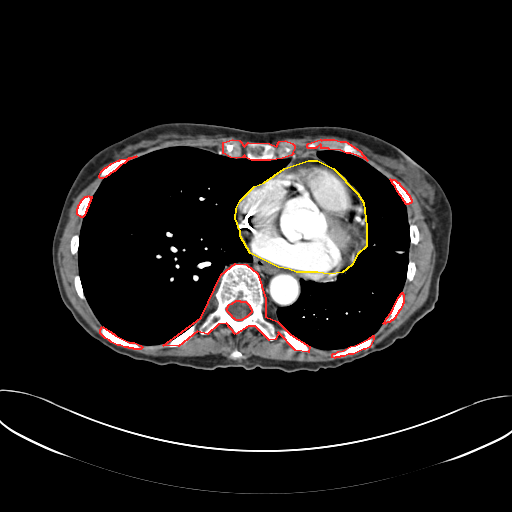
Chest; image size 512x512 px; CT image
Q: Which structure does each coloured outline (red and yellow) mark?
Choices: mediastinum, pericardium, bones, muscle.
A: red: bones; yellow: pericardium.
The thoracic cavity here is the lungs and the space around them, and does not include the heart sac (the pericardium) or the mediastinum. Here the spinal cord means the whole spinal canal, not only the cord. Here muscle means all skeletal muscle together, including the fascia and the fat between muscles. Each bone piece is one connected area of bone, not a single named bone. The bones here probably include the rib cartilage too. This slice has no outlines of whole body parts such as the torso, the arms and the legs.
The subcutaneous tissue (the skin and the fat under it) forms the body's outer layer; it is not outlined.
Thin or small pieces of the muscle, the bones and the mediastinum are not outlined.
Outlined structures:
bones 1: (235, 263) (246, 264) (257, 273) (265, 298) (265, 316) (277, 321) (290, 334) (309, 346) (308, 352) (295, 350) (278, 332) (275, 339) (269, 340) (255, 326) (248, 326) (235, 334) (226, 323) (218, 324) (207, 334) (197, 331) (178, 346) (163, 345) (201, 317) (221, 274), around a hole outlined by (236, 300) (239, 300) (240, 301) (245, 301) (249, 305) (249, 306) (251, 309) (251, 312) (246, 317) (245, 317) (241, 320) (236, 320) (234, 318) (233, 318) (232, 317) (232, 316) (227, 311) (227, 310) (226, 309) (229, 304) (232, 303)
bones 2: (232, 139) (239, 140) (244, 146) (248, 142) (269, 143) (276, 146) (279, 141) (285, 140) (292, 143) (294, 145) (294, 148) (292, 152) (293, 153) (291, 155) (282, 158) (270, 160) (251, 160) (245, 157) (244, 155) (242, 157) (236, 158) (230, 157) (223, 153) (223, 142)
bones 3: (320, 139) (321, 140) (323, 139) (334, 139) (340, 141) (345, 141) (359, 150) (367, 160) (356, 155) (350, 153) (346, 153) (340, 150) (329, 149) (328, 148) (321, 148) (321, 145) (320, 144) (315, 148) (308, 148) (307, 147) (307, 144) (308, 143)
bones 4: (102, 326) (109, 331) (110, 331) (112, 333) (113, 333) (115, 335) (129, 342) (134, 342) (140, 345) (142, 347) (140, 349) (134, 349) (133, 348) (129, 348) (128, 347) (124, 347) (120, 345) (117, 345) (111, 342) (109, 340) (105, 338) (100, 333) (100, 329)
bones 5: (373, 335) (373, 339) (369, 347) (365, 349) (363, 349) (353, 354) (348, 354) (344, 356) (340, 356) (339, 357) (335, 357) (334, 358) (332, 357) (332, 354) (333, 353) (335, 353) (338, 351) (343, 350) (350, 346) (355, 345) (369, 338)
bones 6: (134, 156) (136, 156) (135, 157) (126, 161) (124, 163) (120, 165) (114, 171) (113, 171) (105, 177) (103, 178) (100, 178) (99, 177) (99, 175) (101, 171) (105, 167) (106, 167) (111, 163) (117, 160) (119, 160) (120, 159) (128, 158) (129, 157) (133, 157)
bones 7: (402, 292) (402, 293) (403, 294) (403, 303) (402, 304) (400, 309) (398, 311) (398, 312) (395, 316) (395, 317) (392, 320) (391, 320) (389, 322) (387, 322) (384, 324) (383, 323) (385, 321) (386, 318) (391, 312) (391, 311) (392, 310) (392, 309) (393, 308) (398, 297)
bones 8: (390, 179) (394, 179) (397, 182) (398, 182) (399, 183) (399, 184) (406, 191) (406, 192) (409, 195) (409, 196) (411, 199) (411, 202) (410, 203) (409, 203) (408, 204) (406, 204) (405, 203) (405, 202) (403, 200) (403, 199) (397, 191) (395, 186) (392, 183) (392, 182)
bones 9: (88, 195) (89, 196) (91, 196) (91, 198) (90, 199) (90, 201) (88, 204) (88, 206) (86, 209) (86, 211) (85, 212) (84, 215) (82, 217) (81, 217) (77, 214) (77, 208) (78, 207) (78, 205) (81, 201) (81, 200) (85, 196) (87, 196)
pericardium: (308, 160) (317, 160) (333, 168) (357, 193) (363, 202) (366, 226) (366, 246) (357, 254) (351, 265) (342, 272) (329, 274) (317, 272) (296, 272) (289, 269) (278, 267) (250, 253) (240, 236) (240, 231) (235, 218) (236, 208) (240, 200) (254, 186) (264, 182) (284, 168)
spinal cord: (236, 300) (239, 300) (240, 301) (245, 301) (249, 305) (249, 306) (251, 309) (251, 312) (246, 317) (245, 317) (241, 320) (236, 320) (234, 318) (233, 318) (232, 317) (232, 316) (227, 311) (227, 310) (226, 309) (229, 304) (232, 303)
mediastinum 1: (252, 255) (268, 264) (296, 273) (329, 275) (342, 273) (349, 268) (335, 280) (317, 281) (301, 278) (300, 293) (296, 301) (279, 307) (275, 312) (276, 320) (274, 320) (267, 317) (264, 312) (266, 298) (258, 273) (243, 262) (235, 262) (224, 269) (231, 262) (251, 262)
mediastinum 2: (314, 152) (316, 152) (317, 157) (323, 161) (319, 161) (317, 159) (308, 159) (305, 161) (302, 161) (301, 162) (296, 163) (293, 165) (288, 165) (286, 166) (289, 163) (291, 159) (290, 158) (290, 156) (293, 154) (300, 155) (301, 154) (307, 154) (308, 153) (313, 153)
mediastinum 3: (348, 182) (352, 186) (353, 186) (355, 188) (355, 189) (356, 190) (357, 190) (357, 191) (360, 194) (360, 195) (361, 196) (361, 197) (362, 198) (363, 201) (362, 200) (361, 197) (358, 194) (358, 193) (356, 191) (355, 191) (351, 187) (351, 186) (348, 183)
muscle 1: (357, 148) (384, 164) (407, 185) (425, 215) (435, 249) (428, 296) (398, 328) (365, 351) (330, 361) (279, 360) (255, 355) (237, 360) (243, 354) (236, 347) (229, 354) (232, 359) (221, 354) (155, 356) (125, 348) (140, 350) (143, 347) (141, 345) (160, 344) (166, 348) (175, 348) (197, 332) (207, 335) (220, 324) (228, 325) (235, 335) (248, 327) (255, 327) (269, 341) (275, 340) (278, 333) (298, 352) (308, 353) (311, 347) (340, 350) (331, 354) (334, 359) (369, 348) (374, 334) (383, 324) (396, 317) (404, 303) (402, 290) (405, 282) (411, 282) (416, 273) (416, 263) (409, 258) (409, 250) (411, 245) (418, 244) (420, 232) (418, 226) (408, 220) (407, 205) (412, 202) (410, 195) (398, 181) (389, 178) (370, 163)
muscle 2: (108, 163) (110, 163) (105, 166) (98, 175) (98, 177) (102, 179) (94, 193) (92, 195) (85, 195) (77, 205) (76, 214) (82, 218) (82, 221) (79, 233) (73, 234) (69, 242) (70, 252) (72, 255) (77, 256) (78, 264) (78, 273) (73, 277) (74, 288) (78, 297) (87, 302) (95, 317) (101, 324) (99, 329) (100, 335) (93, 330) (83, 319) (67, 297) (60, 274) (57, 252) (60, 238) (68, 221) (70, 208) (74, 199) (94, 180) (100, 168)
muscle 3: (225, 137) (234, 137) (235, 138) (239, 138) (242, 140) (247, 141) (247, 142) (246, 142) (244, 145) (242, 142) (237, 138) (232, 138) (229, 140) (224, 140) (222, 142) (222, 145) (223, 146) (223, 150) (222, 151) (219, 150) (215, 152) (214, 151) (211, 151) (207, 149) (204, 149) (203, 148) (200, 148) (195, 146) (191, 146) (190, 145) (171, 145) (170, 146) (166, 146) (161, 148) (153, 149) (152, 150) (147, 151) (144, 153) (142, 153) (139, 155) (134, 155) (133, 156) (124, 157) (123, 158) (122, 158) (120, 158) (119, 159) (113, 161) (115, 159) (116, 159) (118, 159) (119, 158) (128, 155) (131, 155) (132, 154) (138, 153) (147, 148) (155, 147) (161, 144) (166, 140) (173, 140) (174, 139) (185, 139) (186, 140) (222, 139)
muscle 4: (307, 136) (310, 136) (311, 137) (331, 136) (332, 137) (337, 137) (341, 139) (345, 139) (347, 140) (348, 142) (345, 140) (340, 140) (339, 139) (335, 139) (334, 138) (323, 138) (322, 139) (320, 138) (319, 139) (316, 139) (313, 141) (310, 141) (306, 144) (306, 147) (308, 149) (315, 149) (320, 145) (320, 148) (318, 150) (313, 152) (296, 154) (293, 152) (295, 148) (295, 145) (292, 142) (290, 142) (284, 139) (287, 139) (288, 138) (303, 138)
thoracic cavity 1: (171, 146) (220, 151) (230, 158) (251, 161) (290, 159) (280, 171) (254, 185) (235, 208) (239, 236) (251, 255) (251, 261) (231, 261) (224, 266) (204, 311) (183, 332) (164, 343) (139, 344) (103, 326) (90, 307) (79, 274) (79, 234) (92, 196) (104, 178) (137, 156)
thoracic cavity 2: (323, 149) (361, 158) (390, 180) (406, 205) (410, 240) (405, 281) (390, 312) (375, 333) (343, 349) (310, 346) (290, 333) (276, 318) (279, 308) (297, 301) (301, 293) (301, 279) (335, 281) (348, 271) (358, 254) (367, 247) (364, 200) (341, 173) (318, 157) (317, 152)